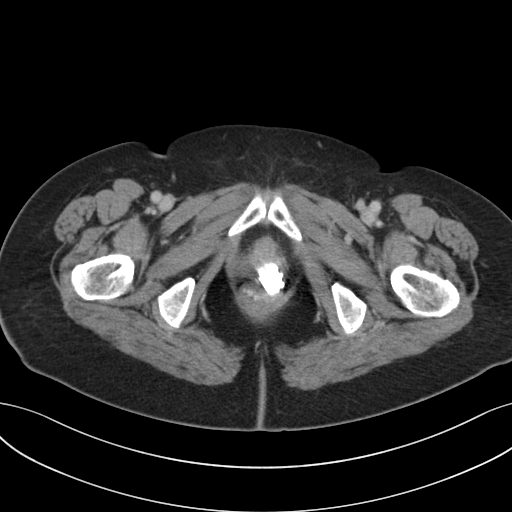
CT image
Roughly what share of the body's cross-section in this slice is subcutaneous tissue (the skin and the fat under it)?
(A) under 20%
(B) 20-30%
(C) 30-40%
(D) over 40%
Answer: (D) over 40%
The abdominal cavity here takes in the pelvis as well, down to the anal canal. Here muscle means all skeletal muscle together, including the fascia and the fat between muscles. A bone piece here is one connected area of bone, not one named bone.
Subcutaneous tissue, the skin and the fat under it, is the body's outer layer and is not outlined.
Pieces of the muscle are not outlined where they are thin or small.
The muscle is outlined by 120 177; 137 181; 165 209; 241 181; 299 184; 337 200; 360 220; 403 192; 430 197; 448 208; 478 244; 473 317; 422 353; 300 390; 281 377; 283 366; 274 348; 281 343; 295 347; 324 333; 315 319; 318 308; 307 277; 301 275; 275 321; 260 327; 234 303; 222 268; 203 305; 213 333; 242 348; 241 367; 233 381; 214 386; 175 377; 75 323; 63 310; 51 278; 58 215; 87 186, around holes outlined by 256 194; 260 194; 267 207; 272 201; 274 195; 279 195; 298 226; 302 236; 302 239; 299 242; 290 238; 289 239; 296 271; 285 297; 277 304; 261 311; 250 310; 235 285; 235 253; 242 235; 240 234; 230 237; 227 235; 230 226 and by 400 264; 411 264; 421 269; 433 271; 440 276; 450 280; 457 288; 460 296; 459 303; 457 307; 453 309; 449 313; 440 317; 420 317; 415 315; 411 311; 402 305; 399 298; 394 293; 390 283; 390 278; 389 276; 391 270; 394 267 and by 110 253; 123 253; 130 256; 133 260; 134 262; 134 277; 132 283; 133 288; 126 293; 112 299; 108 299; 107 300; 85 300; 83 299; 75 292; 71 284; 70 281; 70 272; 72 268; 78 263; 82 263; 90 259; 102 255; 106 255 and by 187 276; 191 276; 194 278; 195 280; 195 286; 193 290; 193 293; 191 297; 191 300; 190 301; 190 304; 187 313; 183 319; 180 326; 178 328; 175 328; 169 325; 161 317; 158 308; 157 296; 172 284; 177 281; 181 280 and by 336 281; 338 281; 345 286; 347 286; 350 288; 362 300; 363 300; 367 305; 367 308; 365 312; 365 316; 361 325; 351 334; 346 334; 343 332; 342 328; 337 318; 336 309; 335 308; 335 305; 334 304; 334 301; 331 292; 331 285. The bones appear in 5 outlined pieces: piece 1: 400 264; 411 264; 421 269; 433 271; 440 276; 450 280; 457 288; 460 296; 459 303; 457 307; 453 309; 449 313; 440 317; 420 317; 415 315; 411 311; 402 305; 399 298; 394 293; 390 283; 390 278; 389 276; 391 270; 394 267; piece 2: 110 253; 123 253; 130 256; 133 260; 134 262; 134 277; 132 283; 133 288; 126 293; 112 299; 108 299; 107 300; 85 300; 83 299; 75 292; 71 284; 70 281; 70 272; 72 268; 78 263; 82 263; 90 259; 102 255; 106 255; piece 3: 256 194; 260 194; 265 201; 267 207; 269 206; 275 194; 279 195; 282 198; 292 218; 301 232; 302 236; 301 241; 299 242; 291 239; 266 218; 264 218; 260 222; 246 229; 239 235; 234 235; 230 237; 227 235; 230 226; 242 213; piece 4: 187 276; 191 276; 194 278; 195 280; 195 286; 193 290; 193 293; 191 297; 191 300; 190 301; 190 304; 187 313; 183 319; 180 326; 178 328; 175 328; 169 325; 161 317; 158 308; 157 296; 172 284; 177 281; 181 280; piece 5: 336 281; 338 281; 345 286; 347 286; 350 288; 362 300; 363 300; 367 305; 367 308; 365 312; 365 316; 361 325; 351 334; 346 334; 343 332; 342 328; 337 318; 336 309; 335 308; 335 305; 334 304; 334 301; 331 292; 331 285. The abdominal cavity is outlined by 257 224; 264 226; 268 226; 271 224; 289 238; 292 253; 294 257; 294 262; 296 266; 296 271; 292 278; 292 282; 283 300; 277 304; 261 311; 250 310; 244 302; 235 285; 235 269; 234 268; 235 253; 238 248; 242 234; 246 230. The torso is outlined by 228 123; 327 134; 371 153; 384 171; 406 164; 429 167; 468 185; 501 208; 511 218; 511 361; 396 410; 291 431; 219 430; 158 420; 103 403; 28 369; 0 326; 0 247; 29 196; 64 166; 102 148; 139 140; 163 153; 179 135.